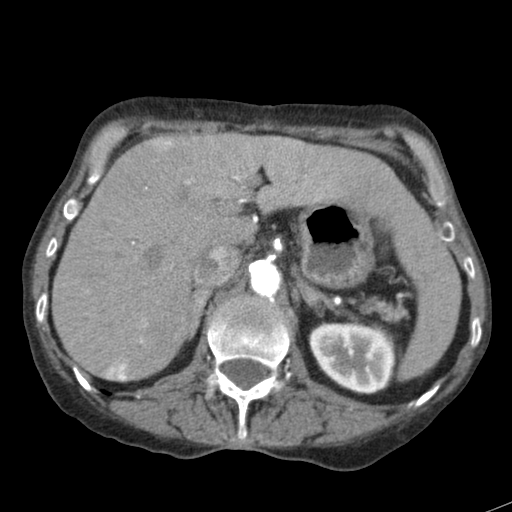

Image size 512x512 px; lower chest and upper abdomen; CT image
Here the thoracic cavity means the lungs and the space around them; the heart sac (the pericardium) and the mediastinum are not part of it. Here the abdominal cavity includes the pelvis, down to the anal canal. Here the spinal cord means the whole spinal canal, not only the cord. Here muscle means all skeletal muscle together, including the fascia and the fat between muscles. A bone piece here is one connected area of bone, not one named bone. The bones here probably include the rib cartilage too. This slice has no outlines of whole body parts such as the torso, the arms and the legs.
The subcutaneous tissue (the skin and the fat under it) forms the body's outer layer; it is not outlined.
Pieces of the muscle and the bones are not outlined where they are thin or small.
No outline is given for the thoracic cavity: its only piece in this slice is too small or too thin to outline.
The spinal cord is outlined by [[239,358],[250,359],[251,360],[257,361],[261,363],[267,368],[268,370],[268,373],[269,374],[268,376],[266,378],[255,383],[247,389],[243,389],[241,388],[233,381],[232,381],[223,372],[222,370],[223,365],[225,362],[229,360],[238,359]]. The abdominal cavity is outlined by [[227,128],[333,139],[398,156],[427,182],[447,229],[444,239],[467,276],[471,317],[454,365],[431,387],[389,407],[339,394],[310,377],[280,306],[250,294],[220,304],[188,365],[146,389],[108,393],[60,351],[47,318],[50,268],[112,152],[139,137]]. The muscle is outlined by [[147,114],[162,119],[218,120],[229,121],[240,124],[248,124],[255,122],[263,123],[270,121],[274,123],[289,125],[330,125],[331,126],[350,125],[352,127],[363,127],[369,126],[371,124],[377,123],[380,124],[384,122],[397,121],[409,126],[424,135],[432,144],[442,165],[452,191],[454,201],[461,218],[461,221],[466,229],[478,259],[485,285],[486,320],[482,345],[476,354],[464,378],[456,388],[435,403],[430,409],[414,416],[409,421],[405,422],[402,425],[396,424],[388,427],[378,432],[366,441],[361,441],[357,444],[353,443],[343,446],[328,447],[296,446],[290,448],[270,448],[260,445],[247,445],[239,443],[200,445],[193,442],[179,439],[166,440],[162,438],[158,438],[146,431],[135,428],[119,420],[104,415],[90,404],[82,396],[74,385],[66,382],[55,371],[48,361],[43,350],[32,318],[34,310],[33,307],[34,302],[31,293],[33,264],[38,245],[48,225],[49,218],[57,202],[72,182],[74,174],[79,166],[81,157],[89,141],[96,131],[109,120],[118,117],[143,116]] with a hole at [[112,125],[126,129],[119,146],[165,132],[227,128],[333,139],[398,156],[426,182],[424,166],[403,136],[413,134],[429,149],[444,185],[446,202],[437,211],[455,228],[449,245],[461,264],[468,255],[474,266],[467,289],[470,316],[480,319],[478,344],[472,347],[468,337],[439,388],[421,405],[382,407],[314,381],[293,339],[277,368],[285,386],[249,403],[243,440],[237,437],[236,402],[219,390],[205,398],[203,380],[214,369],[206,326],[179,373],[130,393],[106,393],[93,384],[94,391],[85,390],[56,344],[47,312],[39,323],[35,308],[48,290],[56,257],[45,255],[47,245],[53,236],[59,245],[70,223],[63,205],[72,197],[81,206],[91,191],[88,159]]. The bones appear in 5 outlined pieces: piece 1: [[244,295],[279,306],[291,327],[293,339],[277,368],[278,378],[285,382],[285,386],[276,395],[269,394],[249,403],[245,417],[247,435],[242,440],[237,437],[236,402],[219,390],[206,399],[203,380],[214,369],[214,356],[206,337],[208,322],[220,305]]; inner edge: [[239,358],[250,359],[251,360],[257,361],[261,363],[267,368],[268,370],[268,373],[269,374],[268,376],[266,378],[255,383],[247,389],[243,389],[241,388],[233,381],[232,381],[223,372],[222,370],[223,365],[225,362],[229,360],[238,359]]; piece 2: [[112,125],[113,126],[115,125],[123,126],[126,129],[126,135],[122,138],[118,145],[114,148],[109,155],[109,157],[104,166],[104,169],[97,181],[91,186],[88,185],[86,183],[86,178],[89,171],[88,159],[90,156],[92,147],[103,130],[108,126]]; piece 3: [[404,133],[411,133],[413,134],[423,141],[429,149],[435,165],[437,167],[441,176],[445,189],[444,195],[446,198],[446,202],[443,208],[436,206],[436,200],[430,193],[429,184],[428,183],[428,176],[426,173],[424,166],[414,151],[405,141],[403,136]]; piece 4: [[438,381],[440,382],[440,386],[439,388],[436,391],[436,392],[427,401],[426,401],[424,403],[423,403],[421,405],[417,407],[414,407],[413,406],[408,406],[408,403],[410,401],[417,398],[419,396],[423,394],[426,391],[427,391],[430,388],[431,388]]; piece 5: [[72,365],[75,365],[77,367],[77,368],[82,374],[82,375],[95,389],[94,391],[91,391],[90,392],[89,391],[87,391],[85,390],[85,389],[83,387],[82,387],[82,386],[80,384],[79,384],[72,370],[72,368],[71,367]].